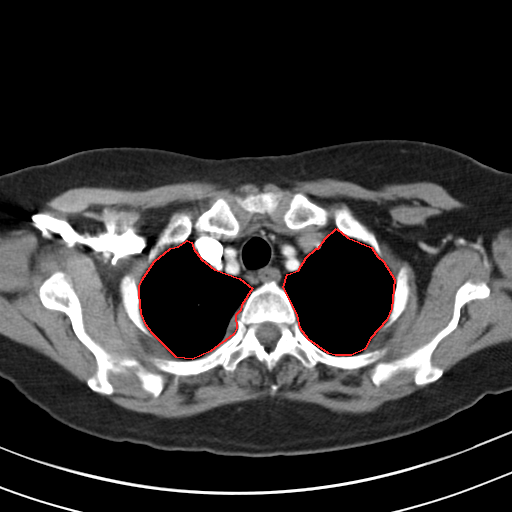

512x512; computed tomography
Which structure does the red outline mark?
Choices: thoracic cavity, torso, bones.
red: thoracic cavity.
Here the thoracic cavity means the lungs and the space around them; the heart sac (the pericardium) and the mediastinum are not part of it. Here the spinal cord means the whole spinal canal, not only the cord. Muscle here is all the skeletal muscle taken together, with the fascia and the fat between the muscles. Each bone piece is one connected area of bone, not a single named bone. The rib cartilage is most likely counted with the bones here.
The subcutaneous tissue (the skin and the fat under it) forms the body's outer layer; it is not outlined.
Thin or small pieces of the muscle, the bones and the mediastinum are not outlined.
The thoracic cavity appears in 2 outlined pieces: piece 1: 336 228; 347 237; 371 247; 377 256; 383 261; 394 279; 391 308; 386 320; 370 338; 364 349; 351 355; 335 355; 328 353; 308 339; 300 328; 297 314; 283 287; 287 274; 298 270; 306 257; 316 248; 318 248; 325 238; piece 2: 187 240; 191 242; 193 248; 201 259; 214 269; 239 278; 252 288; 241 305; 240 310; 235 315; 236 328; 233 334; 210 351; 192 359; 176 357; 152 333; 146 325; 141 313; 139 294; 139 286; 142 279; 154 261; 170 248; 178 246. The spinal cord is outlined by 265 322; 269 322; 270 323; 273 323; 274 324; 275 324; 278 328; 278 330; 279 331; 279 337; 277 339; 274 346; 271 348; 267 348; 260 342; 260 341; 257 337; 257 331; 258 330; 259 325; 260 324; 261 324; 262 323; 264 323. The mediastinum is outlined by 256 224; 263 224; 278 232; 296 231; 304 228; 317 229; 327 225; 335 228; 318 247; 305 257; 298 269; 286 274; 283 286; 279 285; 275 280; 270 280; 253 289; 245 280; 219 271; 202 259; 188 238; 194 232; 235 236; 240 231. The muscle appears in 2 outlined pieces: piece 1: 273 175; 432 182; 511 228; 511 340; 444 372; 432 363; 461 309; 490 295; 468 279; 429 341; 389 361; 387 345; 365 349; 406 308; 410 268; 394 277; 347 205; 334 227; 300 191; 281 205; 287 231; 241 230; 223 196; 194 219; 170 216; 139 285; 131 272; 119 282; 128 318; 175 357; 150 356; 155 371; 87 333; 61 270; 37 294; 94 357; 86 383; 0 334; 0 231; 54 196 with a hole at 260 191; 272 191; 273 192; 281 193; 281 196; 279 199; 280 202; 279 206; 274 212; 272 217; 267 213; 257 213; 256 212; 251 213; 248 212; 243 209; 236 202; 234 198; 235 195; 244 197; 247 194; 256 193; piece 2: 285 355; 293 356; 309 369; 318 363; 344 370; 372 366; 369 376; 378 387; 401 371; 414 370; 413 382; 425 386; 366 413; 340 413; 315 403; 266 397; 218 406; 187 417; 162 418; 125 408; 105 396; 117 390; 109 380; 109 373; 128 374; 126 368; 136 368; 134 374; 141 388; 156 398; 164 388; 164 374; 176 378; 192 376; 217 366; 232 372; 239 362; 250 356; 263 362; 270 372. The bones appear in 7 outlined pieces: piece 1: 56 271; 72 284; 86 333; 154 372; 150 357; 192 360; 229 339; 242 305; 265 282; 284 289; 301 332; 324 352; 387 346; 387 362; 448 324; 466 281; 490 290; 460 309; 431 354; 443 373; 425 385; 414 382; 414 369; 378 386; 372 365; 309 368; 285 354; 270 371; 250 355; 232 371; 164 373; 156 397; 136 367; 110 371; 116 390; 102 395; 86 382; 95 357; 68 316; 39 297 with a hole at 265 322; 269 322; 270 323; 273 323; 274 324; 275 324; 278 328; 278 330; 279 331; 279 337; 277 339; 274 346; 271 348; 267 348; 260 342; 260 341; 257 337; 257 331; 258 330; 259 325; 260 324; 261 324; 262 323; 264 323; piece 2: 219 197; 223 197; 229 201; 240 223; 240 230; 235 235; 196 231; 193 229; 186 240; 178 245; 171 245; 162 250; 146 271; 142 273; 142 270; 147 263; 149 253; 155 245; 160 232; 167 225; 171 216; 175 212; 190 214; 194 220; piece 3: 297 192; 302 193; 312 202; 324 208; 328 212; 328 221; 326 225; 319 226; 315 224; 311 224; 303 228; 297 229; 296 230; 290 229; 285 225; 282 219; 282 214; 283 213; 282 205; 284 202; 285 202; 286 200; 287 200; 294 193; piece 4: 343 205; 347 206; 347 207; 350 210; 352 215; 355 218; 363 223; 366 226; 366 227; 374 234; 379 244; 379 247; 381 250; 382 259; 378 256; 371 246; 347 236; 341 232; 336 227; 336 225; 334 221; 333 213; 336 209; 340 208; piece 5: 127 273; 131 273; 133 277; 138 281; 138 294; 139 295; 139 309; 140 310; 140 313; 142 316; 142 318; 144 321; 145 325; 155 337; 151 337; 147 335; 137 327; 129 318; 127 313; 125 311; 125 309; 121 300; 120 282; 122 277; piece 6: 260 191; 272 191; 273 192; 281 193; 281 196; 279 199; 280 202; 279 206; 274 212; 272 217; 267 213; 257 213; 256 212; 251 213; 248 212; 243 209; 236 202; 234 198; 235 195; 244 197; 247 194; 256 193; piece 7: 404 264; 407 264; 409 268; 407 273; 408 275; 408 283; 409 284; 409 295; 407 303; 403 311; 389 326; 382 330; 379 330; 380 327; 387 320; 391 311; 392 302; 393 301; 393 295; 395 290; 395 279; 394 278; 398 273; 401 266. The torso is outlined by 378 138; 440 144; 496 169; 511 172; 511 390; 487 394; 444 421; 398 438; 321 453; 246 457; 206 451; 166 451; 126 441; 112 442; 82 433; 58 423; 0 377; 1 174; 98 147; 142 146; 206 158; 227 158; 287 154; 335 143.